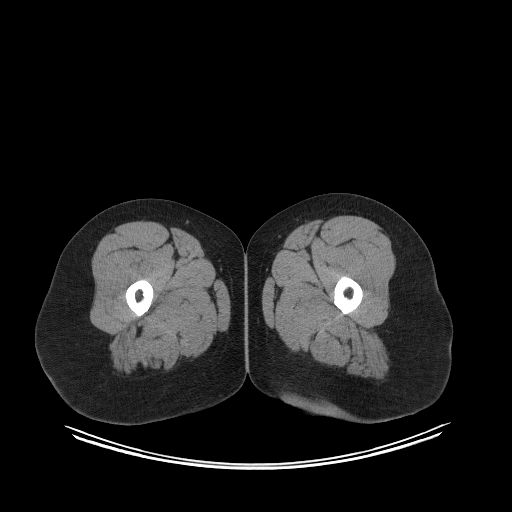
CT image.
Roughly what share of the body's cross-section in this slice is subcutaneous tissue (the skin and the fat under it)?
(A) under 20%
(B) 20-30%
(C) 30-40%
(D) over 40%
Answer: (D) over 40%
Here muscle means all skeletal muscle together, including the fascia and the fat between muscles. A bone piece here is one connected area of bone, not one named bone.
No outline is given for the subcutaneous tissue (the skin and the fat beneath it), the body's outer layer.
The muscle appears in 2 outlined pieces: piece 1: 136 220; 150 220; 167 227; 179 227; 197 238; 205 256; 227 286; 231 315; 228 329; 216 337; 208 349; 197 358; 186 361; 163 375; 131 380; 112 373; 108 341; 105 334; 90 322; 89 311; 94 295; 91 258; 98 242; 113 227; inner edge: 139 279; 146 279; 151 284; 153 288; 153 298; 152 299; 151 304; 148 310; 141 316; 136 316; 136 315; 130 309; 130 308; 128 306; 126 302; 126 299; 125 298; 125 291; 127 287; 130 284; 131 284; 133 282; piece 2: 343 214; 362 216; 382 227; 391 241; 396 259; 396 267; 389 281; 389 312; 380 326; 379 333; 391 364; 386 380; 380 383; 373 379; 355 379; 331 368; 309 363; 290 352; 263 318; 263 284; 270 273; 272 261; 287 235; 306 221 with a hole at 344 275; 345 276; 348 276; 355 280; 360 285; 363 292; 363 296; 359 305; 353 311; 348 314; 344 314; 342 313; 342 312; 333 302; 333 300; 334 299; 333 298; 333 290; 334 289; 335 284; 338 279; 341 276; 343 276. The right leg is outlined by 136 198; 163 198; 183 203; 219 220; 228 226; 240 239; 245 249; 246 376; 242 386; 233 395; 211 407; 159 421; 135 425; 119 425; 85 417; 62 400; 39 363; 34 346; 34 327; 57 260; 67 242; 84 223; 98 212; 114 204. The bones appear in 2 outlined pieces: piece 1: 344 275; 345 276; 348 276; 355 280; 360 285; 363 292; 363 296; 359 305; 353 311; 348 314; 344 314; 342 313; 342 312; 333 302; 333 300; 334 299; 333 298; 333 290; 334 289; 335 284; 338 279; 341 276; 343 276; piece 2: 139 279; 146 279; 151 284; 153 288; 153 298; 152 299; 151 304; 148 310; 141 316; 136 316; 136 315; 130 309; 130 308; 128 306; 126 302; 126 299; 125 298; 125 291; 127 287; 130 284; 131 284; 133 282. The left leg is outlined by 328 192; 356 193; 373 198; 391 207; 413 226; 431 254; 438 287; 453 323; 452 365; 448 382; 441 396; 433 404; 414 414; 370 424; 325 417; 307 417; 280 400; 258 390; 247 375; 245 252; 248 242; 253 233; 274 214; 300 200.